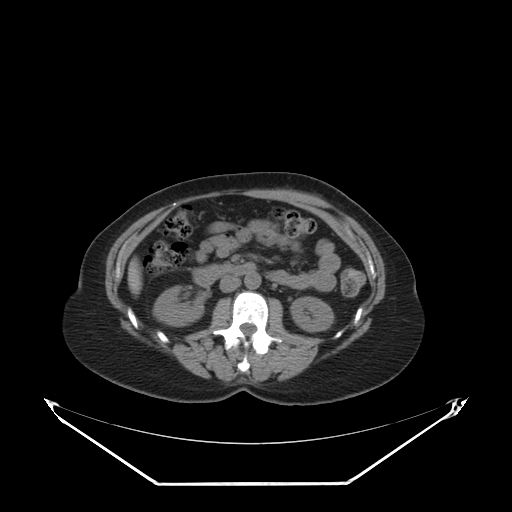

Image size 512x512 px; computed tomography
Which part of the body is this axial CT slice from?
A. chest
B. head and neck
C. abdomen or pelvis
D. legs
C. abdomen or pelvis
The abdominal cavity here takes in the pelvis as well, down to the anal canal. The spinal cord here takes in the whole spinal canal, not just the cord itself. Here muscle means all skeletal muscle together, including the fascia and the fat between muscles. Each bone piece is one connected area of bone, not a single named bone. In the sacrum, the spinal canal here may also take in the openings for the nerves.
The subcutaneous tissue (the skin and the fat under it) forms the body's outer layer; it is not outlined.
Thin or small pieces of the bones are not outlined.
Outlines (x, y in pixels):
bones 1: 243 291; 257 292; 265 298; 268 306; 265 330; 270 336; 282 340; 273 341; 263 354; 257 353; 250 346; 246 350; 249 368; 245 372; 237 367; 245 352; 243 347; 239 345; 226 349; 224 338; 212 332; 227 328; 231 324; 232 302, around a hole outlined by 244 323; 249 323; 250 324; 253 324; 255 326; 255 327; 256 328; 256 330; 253 333; 252 333; 250 335; 250 336; 249 337; 247 337; 242 332; 242 331; 241 330; 241 329; 240 328; 240 326; 242 324; 243 324
bones 2: 129 306; 130 307; 131 307; 131 308; 132 309; 132 310; 133 311; 133 312; 136 317; 136 319; 137 320; 137 324; 138 325; 138 328; 135 328; 133 326; 133 325; 131 323; 130 320; 128 318; 128 317; 127 316; 127 308
bones 3: 367 253; 368 253; 371 257; 371 259; 372 260; 372 262; 373 263; 373 265; 374 266; 374 269; 376 272; 376 276; 374 278; 373 278; 372 277; 372 276; 371 275; 371 273; 369 270; 369 266; 368 265; 368 261; 367 260
bones 4: 157 330; 159 330; 160 331; 161 331; 169 339; 169 342; 168 342; 167 343; 166 343; 165 342; 163 342; 162 341; 161 341; 160 340; 160 339; 158 337; 158 336; 157 335; 157 334; 156 333; 156 331
torso: 256 171; 302 173; 333 185; 362 206; 402 247; 425 312; 422 341; 403 371; 347 399; 287 406; 245 391; 217 402; 173 402; 124 388; 84 367; 65 344; 60 321; 63 303; 77 285; 83 255; 93 238; 133 204; 164 187; 202 176
muscle: 242 188; 245 188; 246 189; 252 189; 253 188; 266 188; 267 189; 273 189; 274 188; 291 188; 295 190; 319 195; 335 207; 352 217; 360 224; 370 236; 376 247; 378 249; 380 255; 383 260; 384 268; 385 269; 385 293; 384 294; 384 297; 374 308; 373 310; 373 317; 372 318; 370 327; 363 335; 355 340; 348 347; 343 349; 334 355; 332 355; 325 359; 322 359; 317 362; 315 362; 299 374; 284 381; 276 382; 266 386; 255 386; 252 384; 246 383; 245 382; 239 382; 234 384; 226 384; 217 381; 213 381; 212 380; 205 379; 193 374; 190 371; 182 366; 170 355; 168 355; 154 347; 148 346; 146 344; 137 340; 123 329; 121 327; 119 321; 120 314; 110 303; 105 291; 105 266; 106 265; 107 255; 109 252; 110 248; 116 239; 132 223; 145 214; 155 209; 157 209; 168 203; 173 202; 177 199; 180 199; 189 196; 193 196; 194 195; 198 195; 199 194; 204 194; 213 191; 220 191; 221 190; 226 190; 227 189; 241 189; inner edges: 224 195; 285 202; 329 225; 367 272; 370 293; 360 304; 363 310; 358 324; 354 325; 352 318; 336 339; 291 333; 283 323; 282 303; 267 297; 265 330; 282 340; 273 341; 263 354; 250 346; 245 372; 237 367; 243 347; 226 349; 224 338; 212 332; 231 324; 229 296; 217 300; 206 328; 169 337; 167 343; 137 317; 135 328; 127 316; 129 306; 119 293; 131 253; 175 207, then 367 253; 368 253; 371 257; 371 259; 372 260; 372 262; 373 263; 373 265; 374 266; 374 269; 376 272; 376 276; 374 278; 373 278; 372 277; 372 276; 371 275; 371 273; 369 270; 369 266; 368 265; 368 261; 367 260, then 118 261; 119 262; 119 268; 120 269; 120 278; 119 279; 117 279; 116 278; 116 277; 115 276; 115 269; 116 268; 116 264; 117 263; 117 262, then 345 226; 348 226; 348 227; 351 230; 351 231; 352 232; 352 233; 353 234; 353 237; 352 238; 351 237; 350 237; 348 235; 348 234; 346 232; 346 230; 345 229
abdominal cavity: 224 195; 275 200; 309 211; 359 257; 367 272; 370 293; 341 330; 329 338; 291 333; 284 326; 280 300; 266 299; 251 290; 238 292; 232 301; 222 296; 212 309; 209 325; 183 337; 168 337; 136 316; 119 293; 131 253; 175 207
spinal cord: 244 323; 249 323; 250 324; 253 324; 255 326; 255 327; 256 328; 256 330; 253 333; 252 333; 250 335; 250 336; 249 337; 247 337; 242 332; 242 331; 241 330; 241 329; 240 328; 240 326; 242 324; 243 324